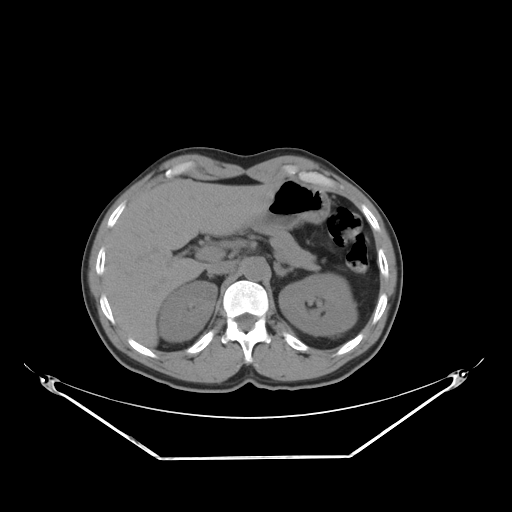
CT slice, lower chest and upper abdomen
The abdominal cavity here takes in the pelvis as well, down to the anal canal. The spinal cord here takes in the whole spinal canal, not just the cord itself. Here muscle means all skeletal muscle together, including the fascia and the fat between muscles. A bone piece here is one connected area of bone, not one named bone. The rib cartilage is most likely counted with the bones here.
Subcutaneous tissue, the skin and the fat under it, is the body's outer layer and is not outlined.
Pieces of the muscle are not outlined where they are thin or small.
{"bones":[{"outer":[[238,280],[249,280],[260,284],[265,289],[268,298],[265,316],[266,328],[271,340],[269,343],[259,341],[253,346],[252,361],[249,363],[245,362],[243,350],[238,341],[229,340],[226,343],[221,341],[226,327],[226,313],[222,305],[223,296],[228,286]],"hole":[[244,313],[248,313],[249,314],[251,314],[256,317],[256,320],[254,322],[254,324],[253,325],[253,326],[250,329],[249,329],[247,331],[244,331],[243,330],[240,329],[239,328],[239,327],[238,326],[238,324],[236,321],[236,318],[238,316],[239,316]]},[[288,164],[297,165],[301,170],[318,172],[326,177],[333,179],[336,182],[337,185],[336,187],[332,188],[318,183],[313,183],[309,181],[306,181],[303,179],[301,179],[296,174],[294,175],[287,175],[282,170],[281,167],[283,165],[287,165]],[[211,329],[212,330],[213,330],[213,331],[214,332],[213,337],[212,338],[211,341],[202,350],[201,350],[197,353],[192,353],[191,354],[190,354],[189,353],[187,353],[185,351],[185,350],[188,347],[191,346],[203,334],[206,333],[209,330],[210,330]],[[189,160],[191,160],[195,163],[195,166],[194,167],[182,173],[180,173],[177,175],[174,175],[171,177],[166,177],[165,176],[164,173],[167,169],[172,167],[176,164],[178,164],[182,162],[185,162]],[[284,331],[286,332],[288,332],[292,334],[297,338],[298,338],[302,342],[303,342],[306,345],[307,345],[309,347],[309,348],[306,351],[301,351],[300,350],[297,350],[293,348],[291,346],[290,346],[285,341],[284,339],[284,337],[282,334],[282,333]],[[381,293],[385,293],[386,294],[387,296],[387,303],[386,304],[385,309],[382,315],[380,317],[380,318],[374,324],[373,324],[372,323],[372,317],[373,316],[373,313],[376,307],[376,305],[378,301],[378,298],[379,297],[379,295]],[[360,332],[361,332],[363,334],[363,337],[360,341],[360,342],[356,346],[355,346],[348,352],[346,352],[341,355],[335,355],[334,356],[333,356],[333,354],[334,353],[335,353],[338,350],[338,349],[344,343],[345,343],[349,340],[352,339]],[[102,293],[104,293],[107,298],[107,300],[109,303],[109,305],[110,306],[110,308],[111,309],[111,311],[112,312],[113,317],[115,320],[115,324],[113,324],[105,316],[105,315],[103,313],[101,309],[101,306],[99,302],[99,299]],[[361,204],[364,204],[371,211],[371,212],[374,215],[374,216],[376,218],[376,219],[378,222],[378,224],[380,227],[380,230],[379,231],[376,231],[375,230],[373,230],[372,229],[369,222],[367,220],[366,217],[364,215],[364,214],[360,209],[360,205]],[[379,248],[382,248],[383,249],[384,254],[387,260],[387,264],[388,265],[388,277],[387,278],[385,278],[382,275],[381,275],[380,273],[380,269],[378,265],[378,252],[377,251],[377,250]],[[129,337],[130,338],[133,339],[138,343],[139,343],[140,344],[143,345],[145,347],[150,349],[157,356],[157,357],[151,357],[150,356],[148,356],[147,355],[144,355],[143,354],[138,352],[136,350],[135,350],[128,343],[128,342],[127,341],[127,339]],[[124,200],[126,201],[126,205],[124,209],[121,212],[120,215],[118,217],[117,220],[115,222],[113,226],[111,227],[108,227],[107,226],[107,222],[108,221],[108,219],[111,213],[114,210],[114,209],[122,201]],[[102,246],[104,246],[105,248],[105,260],[104,261],[104,265],[103,266],[104,267],[103,268],[103,273],[101,275],[99,275],[97,274],[96,272],[96,270],[95,269],[95,265],[96,264],[96,259],[97,258],[97,254],[98,253],[98,251],[99,249]]],"spinal_cord":[[[244,313],[248,313],[249,314],[251,314],[256,317],[256,320],[254,322],[254,324],[253,325],[253,326],[250,329],[249,329],[247,331],[244,331],[243,330],[240,329],[239,328],[239,327],[238,326],[238,324],[236,321],[236,318],[238,316],[239,316]]],"torso":[[[189,146],[238,154],[299,147],[329,160],[378,203],[399,242],[403,286],[391,329],[368,362],[341,381],[317,388],[270,390],[247,383],[227,393],[197,393],[134,372],[112,356],[97,334],[82,296],[80,268],[87,238],[98,215],[116,193],[160,156]]],"mediastinum":[[[252,256],[263,257],[267,265],[269,267],[269,278],[268,279],[268,288],[269,289],[268,290],[268,294],[266,289],[260,283],[249,279],[238,279],[232,282],[227,286],[224,292],[224,289],[227,284],[240,271],[240,268],[242,262],[247,258]]],"muscle":[{"outer":[[189,153],[195,153],[222,162],[236,164],[241,166],[243,168],[248,168],[260,162],[282,155],[298,155],[299,156],[303,156],[316,162],[318,162],[349,182],[356,187],[372,203],[379,213],[389,235],[395,255],[395,261],[396,262],[396,268],[397,269],[397,278],[396,279],[396,285],[395,286],[394,295],[391,300],[391,305],[388,311],[388,315],[384,327],[377,340],[370,347],[364,352],[349,360],[337,369],[327,374],[315,378],[296,380],[295,381],[275,380],[267,376],[260,374],[257,372],[251,365],[243,365],[236,373],[220,383],[202,383],[201,382],[192,382],[191,381],[186,381],[185,380],[178,379],[162,372],[160,372],[155,369],[153,369],[148,366],[146,366],[142,363],[131,358],[128,355],[119,350],[112,343],[107,336],[100,322],[99,317],[96,312],[95,307],[92,301],[92,297],[88,283],[89,257],[90,256],[90,252],[92,248],[92,245],[98,231],[99,226],[107,211],[114,202],[133,184],[141,179],[159,164],[164,161],[175,156],[178,156],[183,154],[188,154]],"holes":[[[189,160],[195,166],[178,176],[201,180],[247,176],[267,183],[292,177],[336,192],[358,208],[364,204],[371,211],[380,227],[372,231],[375,247],[383,249],[388,265],[388,277],[379,276],[379,293],[386,294],[387,303],[374,324],[370,317],[356,346],[334,356],[339,346],[310,346],[306,351],[293,348],[282,333],[296,334],[278,315],[271,295],[265,315],[271,340],[253,346],[249,363],[238,341],[221,341],[226,313],[220,300],[208,329],[213,330],[213,337],[197,353],[153,349],[157,357],[151,357],[128,343],[128,336],[105,316],[99,302],[105,291],[103,276],[97,274],[95,265],[112,229],[107,222],[122,201],[127,204],[149,186],[168,179],[164,174],[167,169]],[[288,164],[297,165],[301,170],[318,172],[326,177],[333,179],[336,182],[337,185],[336,187],[332,188],[318,183],[313,183],[309,181],[306,181],[303,179],[301,179],[296,174],[294,175],[287,175],[282,170],[281,167],[283,165],[287,165]]]}],"abdominal_cavity":[[[182,175],[201,180],[247,176],[267,183],[292,177],[349,199],[372,230],[380,274],[377,301],[361,331],[329,349],[306,344],[268,297],[265,258],[252,255],[224,287],[207,331],[185,349],[152,350],[128,337],[116,323],[104,290],[108,236],[132,198]]]}